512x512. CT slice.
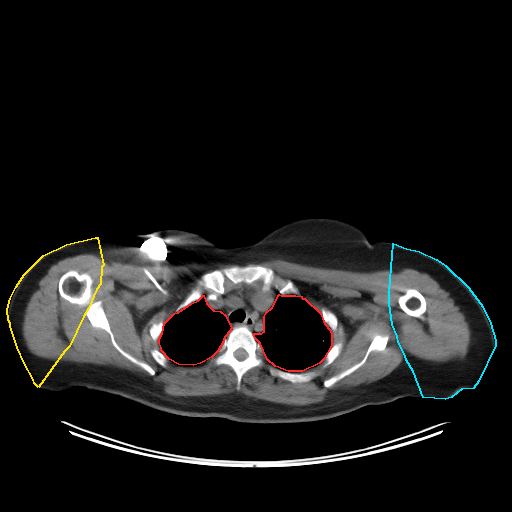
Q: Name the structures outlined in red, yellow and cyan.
A: red: thoracic cavity; yellow: right arm; cyan: left arm.
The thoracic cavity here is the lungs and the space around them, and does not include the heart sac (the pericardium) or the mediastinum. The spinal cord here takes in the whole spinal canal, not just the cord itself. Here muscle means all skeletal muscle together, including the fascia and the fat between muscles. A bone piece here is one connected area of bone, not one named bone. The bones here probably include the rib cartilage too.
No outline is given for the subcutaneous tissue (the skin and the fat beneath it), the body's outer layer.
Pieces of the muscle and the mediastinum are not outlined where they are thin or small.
Outlines (x, y in pixels):
thoracic cavity 1: 279,294 281,295 295,295 301,296 302,298 304,298 320,313 323,321 331,332 331,345 323,359 319,363 302,371 288,371 275,366 267,359 260,343 255,338 253,333 261,333 264,331 264,316 266,312 272,307
thoracic cavity 2: 203,295 206,303 213,310 220,311 225,315 231,328 223,339 223,341 217,351 211,357 200,363 193,365 178,364 169,359 161,350 161,347 159,343 159,338 162,333 164,323 174,313 178,312 191,303 198,300
right arm: 95,237 97,237 103,265 101,267 100,284 96,289 88,308 83,316 69,346 64,351 38,387 34,383 33,379 24,363 17,347 10,326 10,323 8,320 7,309 10,298 16,286 24,274 43,255 66,244
left arm: 393,243 406,248 419,251 436,259 445,265 468,287 482,306 490,323 495,340 495,345 478,381 473,388 461,389 451,397 445,399 423,397 413,371 406,360 405,355 398,342 397,336 392,324 389,303 389,291
spinal cord: 239,348 242,348 247,353 247,356 244,359 243,359 242,360 239,360 238,359 237,359 235,357 235,356 234,355 234,352 237,349 238,349
mediastinum: 241,284 253,285 259,288 261,287 263,291 267,291 271,287 279,292 271,307 263,316 263,331 261,332 253,332 246,325 236,325 232,327 226,315 220,310 213,309 206,301 205,294 210,292 218,294 225,293
muscle 1: 85,253 96,254 107,260 140,265 204,263 243,265 282,259 315,267 354,272 396,271 412,268 430,275 449,293 459,307 470,330 468,351 461,359 445,362 407,357 390,373 378,380 349,388 331,389 324,400 307,405 276,403 236,392 172,396 157,389 148,376 138,371 90,362 51,359 33,354 27,348 22,334 22,323 29,295 53,264 64,258 with holes at 235,265 268,267 276,276 291,280 298,295 318,312 325,307 335,314 337,327 331,333 331,344 341,342 342,347 328,365 322,360 304,370 318,371 316,377 293,383 274,376 269,369 275,366 265,356 262,366 242,376 237,390 233,369 214,365 210,357 193,365 169,359 166,366 153,358 150,351 161,347 150,335 151,325 164,323 200,285 204,273 and at 69,270 76,270 79,273 87,272 92,277 94,299 101,301 115,341 126,352 147,363 155,371 153,375 150,375 147,371 122,355 114,347 109,334 105,330 93,327 83,306 70,303 60,296 58,291 59,279 and at 376,334 388,335 388,340 385,349 383,351 375,351 374,350 371,351 365,362 357,369 350,374 335,382 330,387 324,386 323,384 324,380 335,374 341,372 343,370 347,369 354,364 359,362 365,355 373,337 and at 407,288 413,288 414,289 416,289 422,294 425,299 426,308 425,309 424,313 420,317 415,317 414,316 411,316 407,314 403,310 402,310 399,306 399,304 398,303 398,298 400,295 403,294 405,292 405,290
muscle 2: 226,280 228,280 229,281 230,281 234,285 237,285 238,284 240,284 239,284 238,285 237,285 235,287 234,287 231,290 229,290 228,291 226,291 225,292 224,292 225,291 225,282 226,281
torso: 306,217 337,218 360,228 372,243 392,243 388,291 391,324 422,397 402,397 314,421 250,423 178,415 84,387 61,392 39,388 70,346 101,284 104,265 98,237 174,228 231,248 253,244 279,226
bones 1: 235,265 268,267 273,270 276,276 291,280 298,289 298,295 281,294 273,284 267,290 263,290 260,280 250,284 243,282 234,284 226,279 223,292 204,288 198,299 175,312 191,291 200,285 201,276 204,273
bones 2: 69,270 76,270 79,273 87,272 92,277 94,299 101,301 115,341 126,352 147,363 155,371 153,375 150,375 147,371 122,355 114,347 109,334 105,330 93,327 83,306 70,303 60,296 58,291 59,279
bones 3: 236,326 246,326 252,332 254,338 259,343 264,355 264,364 262,366 254,366 250,368 242,376 240,387 238,390 236,388 237,377 233,369 227,364 220,364 216,366 211,361 211,358 218,351 228,333 233,327 with a hole at 239,348 242,348 247,353 247,356 244,359 243,359 242,360 239,360 238,359 237,359 235,357 235,356 234,355 234,352 237,349 238,349
bones 4: 376,334 388,335 388,340 385,349 383,351 375,351 374,350 371,351 365,362 357,369 350,374 335,382 330,387 324,386 323,384 324,380 335,374 341,372 343,370 347,369 354,364 359,362 365,355 373,337
bones 5: 407,288 413,288 414,289 416,289 422,294 425,299 426,308 425,309 424,313 420,317 415,317 414,316 411,316 407,314 403,310 402,310 399,306 399,304 398,303 398,298 400,295 403,294 405,292 405,290
bones 6: 270,367 276,367 283,371 287,371 288,372 303,372 304,371 311,371 312,370 315,370 316,371 318,371 319,372 319,374 316,377 309,381 293,383 288,380 286,380 280,377 272,375 269,371
bones 7: 322,307 325,307 327,309 328,309 329,310 330,310 332,312 333,312 335,314 335,315 337,318 337,327 334,332 332,332 331,331 330,328 326,324 326,323 324,321 324,320 323,319 323,317 320,312 320,309
bones 8: 337,342 341,342 342,343 342,347 341,348 340,353 338,355 338,356 331,363 330,363 328,365 327,365 326,366 324,366 323,365 324,364 324,361 323,360 324,359 326,354 330,349 331,346 334,343 336,343
bones 9: 160,320 162,320 162,321 163,322 163,327 162,328 161,333 158,338 158,341 157,341 156,342 155,341 154,341 151,337 151,336 150,335 150,333 149,332 149,329 150,328 151,325 153,323 158,322
bones 10: 154,348 155,348 156,349 158,349 159,350 160,350 168,358 168,362 167,363 167,364 166,365 166,366 162,366 161,365 160,365 153,358 153,357 151,355 151,353 150,352 150,351 152,349 153,349